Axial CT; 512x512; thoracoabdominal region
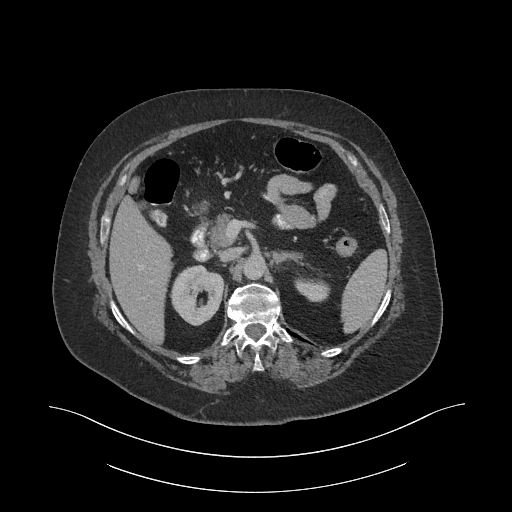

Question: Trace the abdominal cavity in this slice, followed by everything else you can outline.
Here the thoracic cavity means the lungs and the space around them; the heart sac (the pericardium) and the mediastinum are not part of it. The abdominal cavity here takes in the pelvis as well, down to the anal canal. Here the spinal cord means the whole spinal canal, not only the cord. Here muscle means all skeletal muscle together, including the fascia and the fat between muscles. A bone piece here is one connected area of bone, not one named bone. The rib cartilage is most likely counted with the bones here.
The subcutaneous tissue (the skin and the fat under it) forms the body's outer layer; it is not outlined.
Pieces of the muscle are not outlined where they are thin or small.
Answer: abdominal cavity: 237 121; 279 127; 328 145; 377 209; 389 254; 387 285; 369 323; 346 341; 324 347; 286 329; 278 319; 279 296; 252 281; 231 293; 225 311; 230 319; 214 341; 184 354; 142 337; 112 296; 106 273; 111 216; 135 171; 181 138
torso: 197 88; 292 88; 319 92; 352 104; 383 130; 427 217; 443 300; 437 351; 420 376; 377 400; 332 415; 278 425; 219 425; 182 419; 152 406; 92 371; 68 351; 55 318; 52 275; 60 220; 78 164; 97 134; 122 112; 155 96
bones 1: 252 282; 266 285; 275 292; 280 303; 277 319; 294 338; 292 342; 280 340; 274 352; 265 345; 261 347; 259 355; 263 371; 253 370; 255 352; 249 345; 240 356; 232 340; 220 345; 227 328; 234 323; 226 311; 232 293; 237 287; inner edge: 251 324; 260 324; 261 325; 262 325; 263 326; 263 327; 264 328; 264 333; 260 337; 259 337; 256 340; 255 340; 253 338; 252 338; 251 337; 250 337; 247 334; 247 333; 246 332; 246 328; 247 327; 247 326; 248 325; 250 325
bones 2: 106 209; 108 209; 109 211; 109 215; 110 216; 110 224; 109 225; 109 231; 108 232; 108 235; 107 236; 107 241; 106 242; 106 246; 105 246; 104 245; 102 245; 100 243; 100 239; 99 238; 99 233; 100 232; 100 218; 102 214
bones 3: 111 296; 113 300; 115 302; 117 307; 119 309; 121 314; 127 321; 129 325; 135 331; 135 333; 136 334; 135 335; 133 335; 123 327; 122 327; 118 323; 118 322; 114 317; 111 311; 111 309; 110 308; 110 305; 109 304; 109 300
bones 4: 387 288; 390 288; 391 289; 391 296; 389 300; 389 303; 386 307; 383 314; 379 318; 379 319; 376 322; 376 323; 372 326; 369 326; 370 324; 370 322; 372 320; 374 315; 376 313; 382 301; 382 299; 384 296; 384 294
bones 5: 378 202; 381 202; 384 205; 385 209; 386 210; 386 212; 387 213; 387 215; 388 216; 388 218; 389 219; 389 222; 390 223; 390 233; 386 237; 384 233; 384 231; 382 228; 381 223; 380 222; 380 216; 379 215; 378 209; 377 208
bones 6: 181 354; 183 354; 184 355; 196 355; 197 356; 199 356; 200 357; 200 360; 196 363; 194 363; 193 364; 184 364; 183 363; 181 363; 180 362; 179 362; 175 359; 175 357; 176 356; 177 356; 178 355; 180 355
bones 7: 338 345; 340 345; 342 347; 342 350; 340 353; 339 353; 338 354; 337 354; 334 356; 332 356; 331 357; 325 357; 324 356; 322 356; 320 354; 320 353; 323 350; 325 350; 328 348; 331 348; 332 347; 334 347; 335 346; 337 346
bones 8: 348 153; 351 153; 352 154; 353 154; 357 158; 357 165; 356 165; 355 166; 354 165; 353 165; 352 164; 351 164; 350 163; 350 162; 347 159; 347 154
bones 9: 124 174; 125 174; 127 176; 127 178; 126 179; 126 181; 125 182; 125 183; 123 185; 122 185; 121 186; 118 186; 117 185; 117 182; 118 181; 118 180; 119 179; 119 178; 122 175; 123 175
spinal cord: 251 324; 260 324; 261 325; 262 325; 263 326; 263 327; 264 328; 264 333; 260 337; 259 337; 256 340; 255 340; 253 338; 252 338; 251 337; 250 337; 247 334; 247 333; 246 332; 246 328; 247 327; 247 326; 248 325; 250 325
thoracic cavity: 287 330; 289 330; 291 332; 293 332; 295 334; 296 334; 298 336; 299 336; 299 337; 300 338; 301 338; 302 339; 303 339; 305 341; 304 341; 303 340; 301 340; 299 338; 297 338; 296 337; 294 337
muscle: 229 117; 267 117; 268 118; 274 118; 275 119; 290 120; 291 121; 305 123; 314 127; 323 128; 338 133; 350 139; 357 144; 372 159; 382 173; 383 176; 387 180; 396 197; 396 200; 397 201; 397 213; 400 220; 400 226; 402 229; 402 234; 404 239; 403 254; 401 259; 402 278; 403 279; 403 284; 405 291; 405 307; 404 308; 404 311; 401 314; 401 316; 398 320; 388 330; 387 333; 362 353; 341 374; 325 382; 309 387; 304 390; 291 389; 280 383; 273 381; 269 376; 260 372; 251 373; 250 376; 244 382; 227 395; 211 394; 184 385; 166 377; 147 361; 144 360; 128 348; 115 334; 108 330; 101 322; 96 319; 92 313; 92 307; 93 305; 92 304; 92 295; 91 294; 91 285; 90 284; 90 275; 89 274; 89 257; 87 254; 87 250; 88 249; 88 244; 87 243; 88 218; 90 213; 92 200; 100 185; 109 174; 113 166; 128 151; 138 144; 170 129; 193 123; 197 123; 208 120; 213 120; 214 119; 222 119; inner edges: 237 121; 279 127; 328 145; 375 206; 385 207; 389 303; 374 325; 340 343; 342 350; 334 356; 322 356; 327 347; 295 337; 280 340; 274 352; 263 345; 264 369; 253 370; 255 352; 249 345; 240 356; 232 340; 220 345; 234 323; 226 319; 214 341; 191 354; 200 360; 184 364; 175 359; 179 352; 133 335; 111 311; 106 247; 99 238; 102 214; 108 209; 112 215; 146 158; 188 135, then 348 153; 351 153; 352 154; 353 154; 357 158; 357 165; 356 165; 355 166; 354 165; 353 165; 352 164; 351 164; 350 163; 350 162; 347 159; 347 154, then 124 174; 125 174; 127 176; 127 178; 126 179; 126 181; 125 182; 125 183; 123 185; 122 185; 121 186; 118 186; 117 185; 117 182; 118 181; 118 180; 119 179; 119 178; 122 175; 123 175